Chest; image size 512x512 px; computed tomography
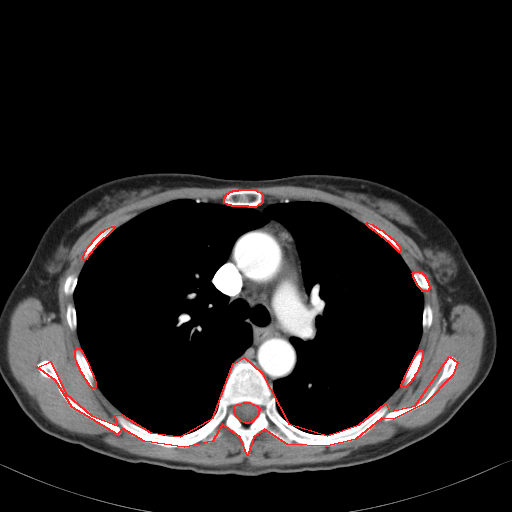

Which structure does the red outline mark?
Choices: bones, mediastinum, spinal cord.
red: bones.
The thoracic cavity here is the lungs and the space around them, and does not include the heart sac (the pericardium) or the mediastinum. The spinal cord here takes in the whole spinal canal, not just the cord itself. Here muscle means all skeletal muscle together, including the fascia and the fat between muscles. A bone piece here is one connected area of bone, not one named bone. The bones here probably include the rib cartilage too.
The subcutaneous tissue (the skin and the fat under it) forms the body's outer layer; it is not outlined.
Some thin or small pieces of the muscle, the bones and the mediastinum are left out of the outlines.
The bones appear in 7 outlined pieces: piece 1: 449,356 457,362 452,375 425,403 393,419 381,418 355,439 326,446 287,444 264,429 253,437 247,455 240,437 222,424 212,441 184,447 144,441 122,428 117,434 72,407 55,380 37,367 50,361 65,393 91,415 117,425 115,415 121,414 150,432 180,436 213,417 233,363 244,357 261,372 288,423 327,435 359,424 385,403 389,411 415,405; inner edge: 243,402 249,402 252,404 254,404 256,405 259,408 259,410 258,411 258,414 257,416 251,422 249,423 246,423 245,422 243,422 241,421 236,416 235,414 235,411 234,410 234,406 237,404 239,404; piece 2: 239,189 255,189 257,191 260,192 262,194 262,202 259,205 258,205 255,207 249,207 248,206 232,206 231,205 228,205 227,204 224,203 224,198 227,193 228,193 230,191 232,191 233,190 238,190; piece 3: 77,348 79,348 81,350 89,366 89,368 93,375 93,377 95,381 95,387 94,388 92,388 89,385 89,384 85,379 84,376 80,371 80,369 77,364 77,362 75,358 75,350; piece 4: 419,350 421,350 422,351 422,358 421,359 421,361 420,362 419,367 418,368 416,373 414,375 413,378 411,380 411,381 405,387 402,387 401,386 402,381 404,379 404,377 405,376 417,351 418,351; piece 5: 111,226 114,226 114,228 95,246 95,247 88,255 86,259 84,260 83,259 83,255 84,254 84,252 86,250 88,246 92,242 92,241 102,231 103,231 105,229; piece 6: 416,271 418,271 419,272 421,272 425,276 425,277 428,282 428,284 429,285 429,288 427,291 422,291 422,290 417,285 417,284 416,283 416,282 413,277 413,274 412,273 413,273; piece 7: 367,222 372,224 374,226 375,226 379,229 382,230 391,238 392,238 399,246 399,247 400,248 400,251 399,252 388,241 387,241 383,237 382,237 374,230 373,230 371,228 370,228 366,224 366,223. The mediastinum is outlined by 270,219 282,224 295,242 309,298 307,315 311,318 303,338 294,336 289,340 297,358 292,373 275,379 272,388 257,366 241,356 252,343 251,326 234,313 235,304 228,306 229,298 211,281 228,258 236,240. The muscle is outlined by 275,185 315,188 355,201 416,243 442,316 448,321 455,305 468,304 483,320 481,362 465,390 430,423 339,459 255,467 245,461 210,466 132,454 46,418 8,363 13,309 32,296 58,321 59,281 77,239 108,213 181,187 242,188 227,192 223,203 173,199 105,228 83,252 78,275 70,273 64,280 64,293 73,297 65,317 81,348 74,350 76,364 88,385 94,389 96,384 121,413 114,415 117,424 91,414 66,393 48,359 40,360 37,370 54,380 72,408 117,435 122,429 165,448 210,443 222,434 222,425 239,437 247,456 254,437 264,430 287,445 332,446 355,440 381,419 393,420 432,397 457,367 457,359 449,355 421,400 392,410 385,402 400,385 405,388 412,381 423,358 418,346 433,320 432,307 424,305 423,292 430,288 426,276 411,271 400,246 386,232 335,205 289,198 262,203 263,194 249,188. The thoracic cavity is outlined by 178,199 261,213 323,202 400,254 422,292 422,331 373,413 317,434 278,411 274,381 293,373 290,340 312,318 296,242 273,218 242,233 210,280 252,335 212,417 165,435 106,397 78,336 78,276 113,230. The torso is outlined by 151,172 245,180 334,174 373,180 409,195 451,229 487,296 497,333 496,354 488,375 450,420 427,437 385,457 328,470 254,476 198,473 124,461 42,431 24,413 0,375 0,311 43,232 68,203 103,182. The spinal cord is outlined by 243,402 249,402 252,404 254,404 256,405 259,408 259,410 258,411 258,414 257,416 251,422 249,423 246,423 245,422 243,422 241,421 236,416 235,414 235,411 234,410 234,406 237,404 239,404.